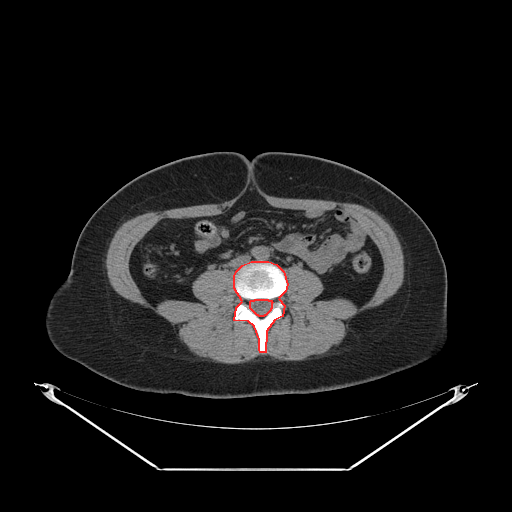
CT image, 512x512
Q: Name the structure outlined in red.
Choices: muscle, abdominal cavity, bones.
A: red: bones.
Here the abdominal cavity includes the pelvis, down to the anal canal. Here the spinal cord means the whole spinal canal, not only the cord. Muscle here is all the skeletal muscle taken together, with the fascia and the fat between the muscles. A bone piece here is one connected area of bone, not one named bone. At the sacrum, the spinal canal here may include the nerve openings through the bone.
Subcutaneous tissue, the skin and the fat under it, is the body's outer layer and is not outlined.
Outlines (x, y in pixels):
bones: [[251,261],[268,261],[276,264],[283,271],[287,284],[285,291],[278,298],[284,305],[282,316],[274,320],[266,331],[265,352],[260,352],[259,350],[259,339],[254,326],[248,321],[234,320],[236,307],[242,301],[234,288],[234,276],[236,271],[242,265]]; inner edge: [[255,299],[267,299],[268,300],[271,300],[271,301],[272,302],[271,303],[271,308],[270,309],[270,310],[265,315],[264,315],[263,316],[259,316],[258,315],[257,315],[250,308],[250,301],[251,300],[254,300]]
muscle: [[246,186],[258,186],[267,194],[277,197],[321,199],[360,204],[377,211],[394,230],[404,256],[404,279],[402,285],[395,294],[381,305],[366,310],[351,318],[348,321],[349,329],[343,340],[332,353],[318,358],[299,361],[282,361],[268,356],[258,356],[251,361],[233,364],[204,360],[191,353],[182,345],[169,321],[152,310],[122,297],[110,284],[105,265],[106,254],[114,233],[122,223],[149,211],[220,203],[233,198]], around a hole outlined by [[248,191],[276,208],[347,213],[381,256],[371,297],[360,306],[316,299],[317,275],[283,268],[282,316],[266,331],[265,352],[254,326],[234,320],[242,301],[235,270],[198,275],[191,291],[199,302],[146,299],[130,271],[137,243],[162,219],[223,214]]
torso: [[213,151],[236,151],[250,159],[265,151],[320,156],[366,173],[407,202],[432,231],[446,265],[449,329],[443,348],[420,364],[357,385],[239,398],[138,391],[63,356],[49,340],[44,318],[49,300],[70,270],[76,241],[88,219],[136,176],[182,157]]
abdominal cavity: [[248,191],[276,208],[347,213],[381,256],[383,271],[371,297],[360,306],[344,297],[316,299],[324,285],[312,271],[251,260],[236,270],[207,269],[198,275],[191,291],[199,302],[164,299],[154,305],[146,299],[130,271],[137,243],[162,219],[223,214]]
spinal cord: [[255,299],[267,299],[268,300],[271,300],[271,301],[272,302],[271,303],[271,308],[270,309],[270,310],[265,315],[264,315],[263,316],[259,316],[258,315],[257,315],[250,308],[250,301],[251,300],[254,300]]